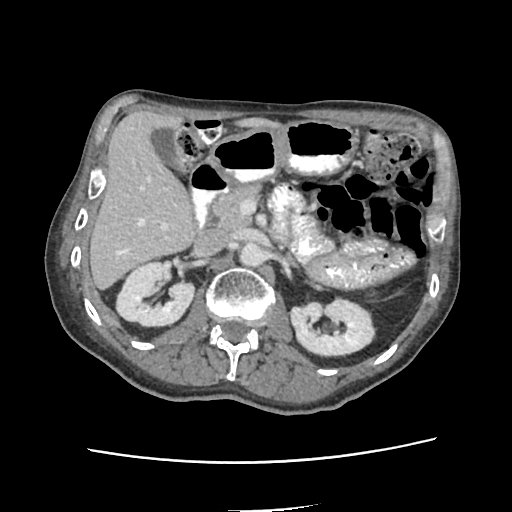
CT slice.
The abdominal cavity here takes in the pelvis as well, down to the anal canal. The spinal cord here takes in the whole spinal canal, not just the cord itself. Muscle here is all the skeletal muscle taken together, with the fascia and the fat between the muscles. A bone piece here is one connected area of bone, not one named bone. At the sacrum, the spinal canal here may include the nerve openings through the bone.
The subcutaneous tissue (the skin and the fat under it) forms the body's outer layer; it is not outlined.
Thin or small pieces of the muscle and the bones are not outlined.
Outlines:
abdominal cavity: (325, 367) (352, 365) (384, 350) (421, 301) (435, 177) (430, 144) (408, 132) (302, 116) (198, 120) (146, 111) (121, 116) (109, 138) (108, 184) (90, 233) (88, 260) (101, 300) (122, 327) (151, 339) (185, 318) (200, 285) (242, 266) (281, 293) (291, 344)
torso: (281, 415) (332, 410) (359, 397) (406, 367) (447, 317) (457, 295) (461, 265) (461, 193) (449, 135) (427, 114) (383, 101) (281, 103) (196, 98) (145, 88) (114, 94) (91, 123) (76, 171) (47, 232) (44, 271) (61, 326) (80, 347) (146, 393) (180, 402) (231, 399)
spinal cord: (233, 343) (237, 343) (238, 341) (247, 332) (248, 330) (248, 326) (247, 325) (241, 322) (238, 322) (237, 321) (229, 321) (225, 323) (225, 324) (223, 326) (223, 329) (225, 333) (225, 336) (229, 341)
bones 1: (231, 381) (236, 379) (236, 367) (239, 355) (258, 348) (258, 328) (266, 324) (275, 302) (275, 292) (273, 288) (259, 274) (242, 267) (231, 267) (218, 273) (210, 282) (205, 294) (206, 306) (215, 323) (210, 330) (209, 343) (216, 345) (227, 352) (230, 368) (226, 378), around a hole outlined by (233, 343) (237, 343) (238, 341) (247, 332) (248, 330) (248, 326) (247, 325) (241, 322) (238, 322) (237, 321) (229, 321) (225, 323) (225, 324) (223, 326) (223, 329) (225, 333) (225, 336) (229, 341)
bones 2: (446, 187) (448, 187) (449, 184) (449, 176) (450, 175) (449, 167) (450, 166) (450, 160) (448, 155) (446, 142) (443, 136) (442, 136) (441, 134) (437, 131) (434, 131) (432, 137) (434, 142) (434, 147) (437, 151) (437, 157) (438, 158) (438, 161) (440, 164) (441, 178)
bones 3: (437, 243) (441, 243) (443, 242) (444, 235) (445, 234) (445, 225) (446, 224) (446, 221) (445, 220) (445, 218) (441, 216) (441, 210) (440, 208) (438, 206) (434, 206) (430, 209) (428, 213) (427, 223) (428, 224) (428, 230) (430, 233) (430, 236) (432, 239)
bones 4: (90, 200) (91, 199) (93, 199) (97, 197) (103, 191) (105, 187) (106, 178) (105, 177) (105, 175) (102, 169) (100, 167) (96, 167) (92, 169) (90, 172) (90, 176) (89, 177) (89, 181) (88, 182) (88, 188) (87, 189) (87, 195) (88, 196) (88, 199)
bones 5: (96, 143) (100, 143) (103, 140) (112, 117) (118, 111) (118, 109) (126, 103) (125, 101) (125, 98) (123, 98) (122, 99) (118, 100) (113, 105) (112, 105) (107, 111) (106, 111) (106, 113) (102, 118) (98, 126) (98, 128) (95, 135) (95, 137) (96, 138)
bones 6: (98, 325) (101, 325) (102, 324) (101, 322) (101, 320) (95, 308) (93, 306) (93, 305) (91, 303) (89, 299) (87, 297) (84, 297) (83, 298) (83, 301) (84, 302) (84, 306) (85, 307) (86, 312) (89, 316) (89, 317) (96, 324)
bones 7: (77, 231) (80, 230) (85, 225) (85, 224) (87, 221) (87, 218) (88, 217) (88, 212) (87, 211) (87, 209) (85, 207) (82, 207) (80, 209) (80, 210) (78, 213) (78, 215) (75, 220) (75, 223) (74, 224) (74, 228) (75, 229) (75, 230) (76, 230)
bones 8: (372, 365) (376, 365) (381, 362) (383, 362) (385, 361) (388, 358) (389, 358) (390, 356) (395, 351) (395, 350) (397, 348) (397, 346) (398, 345) (397, 343) (396, 342) (394, 342) (386, 350) (385, 350) (382, 353) (381, 353) (377, 357) (377, 358) (374, 361) (372, 362)
bones 9: (430, 298) (434, 298) (437, 295) (437, 294) (438, 293) (438, 290) (439, 289) (439, 280) (438, 279) (438, 276) (437, 275) (437, 273) (436, 272) (433, 272) (431, 274) (431, 280) (430, 281) (430, 283) (429, 284) (429, 294) (430, 295)
bones 10: (141, 350) (147, 350) (148, 349) (151, 349) (152, 348) (154, 348) (155, 347) (155, 346) (152, 343) (151, 343) (150, 342) (148, 342) (147, 341) (140, 341) (139, 340) (131, 340) (130, 341) (130, 343) (132, 345) (132, 346) (133, 346) (138, 349) (140, 349)
muscle: (287, 404) (315, 402) (389, 367) (402, 356) (438, 309) (448, 286) (456, 206) (452, 157) (446, 138) (435, 126) (419, 117) (385, 110) (237, 111) (179, 106) (139, 94) (116, 98) (105, 108) (96, 124) (82, 173) (63, 220) (58, 245) (59, 267) (70, 298) (104, 340) (144, 373) (165, 383) (184, 387) (209, 387) (227, 380) (225, 375) (229, 362) (226, 352) (208, 343) (209, 330) (214, 323) (205, 306) (206, 287) (198, 288) (188, 315) (179, 325) (151, 340) (140, 340) (128, 334) (119, 324) (116, 314) (100, 300) (88, 269) (88, 237) (107, 184) (108, 138) (121, 115) (139, 110) (198, 119) (223, 119) (247, 114) (302, 115) (408, 131) (431, 144) (436, 158) (431, 207) (438, 205) (441, 208) (447, 221) (446, 234) (444, 242) (437, 244) (428, 231) (431, 254) (427, 290) (411, 321) (392, 342) (396, 341) (398, 348) (389, 359) (376, 366) (372, 366) (371, 362) (378, 354) (352, 366) (340, 367) (332, 376) (319, 375) (315, 370) (324, 367) (313, 363) (290, 344) (287, 312) (280, 293) (276, 291) (276, 302) (267, 324) (259, 328) (259, 348) (240, 355) (234, 381) (254, 395), around holes outlined by (446, 187) (448, 187) (449, 184) (449, 176) (450, 175) (449, 167) (450, 166) (450, 160) (448, 155) (446, 142) (443, 136) (442, 136) (441, 134) (437, 131) (434, 131) (432, 137) (434, 142) (434, 147) (437, 151) (437, 157) (438, 158) (438, 161) (440, 164) (441, 178) and by (90, 200) (91, 199) (93, 199) (97, 197) (103, 191) (105, 187) (106, 178) (105, 177) (105, 175) (102, 169) (100, 167) (96, 167) (92, 169) (90, 172) (90, 176) (89, 177) (89, 181) (88, 182) (88, 188) (87, 189) (87, 195) (88, 196) (88, 199) and by (96, 143) (100, 143) (103, 140) (112, 117) (118, 111) (118, 109) (126, 103) (125, 101) (125, 98) (123, 98) (122, 99) (118, 100) (113, 105) (112, 105) (107, 111) (106, 111) (106, 113) (102, 118) (98, 126) (98, 128) (95, 135) (95, 137) (96, 138) and by (98, 325) (101, 325) (102, 324) (101, 322) (101, 320) (95, 308) (93, 306) (93, 305) (91, 303) (89, 299) (87, 297) (84, 297) (83, 298) (83, 301) (84, 302) (84, 306) (85, 307) (86, 312) (89, 316) (89, 317) (96, 324) and by (77, 231) (80, 230) (85, 225) (85, 224) (87, 221) (87, 218) (88, 217) (88, 212) (87, 211) (87, 209) (85, 207) (82, 207) (80, 209) (80, 210) (78, 213) (78, 215) (75, 220) (75, 223) (74, 224) (74, 228) (75, 229) (75, 230) (76, 230) and by (430, 298) (434, 298) (437, 295) (437, 294) (438, 293) (438, 290) (439, 289) (439, 280) (438, 279) (438, 276) (437, 275) (437, 273) (436, 272) (433, 272) (431, 274) (431, 280) (430, 281) (430, 283) (429, 284) (429, 294) (430, 295) and by (75, 268) (78, 268) (78, 267) (79, 266) (79, 262) (80, 261) (80, 258) (81, 257) (81, 249) (80, 248) (80, 246) (78, 244) (76, 244) (74, 246) (74, 247) (72, 250) (72, 252) (71, 253) (71, 256) (70, 257) (70, 262) (71, 263) (71, 265) and by (141, 350) (147, 350) (148, 349) (151, 349) (152, 348) (154, 348) (155, 347) (155, 346) (152, 343) (151, 343) (150, 342) (148, 342) (147, 341) (140, 341) (139, 340) (131, 340) (130, 341) (130, 343) (132, 345) (132, 346) (133, 346) (138, 349) (140, 349)